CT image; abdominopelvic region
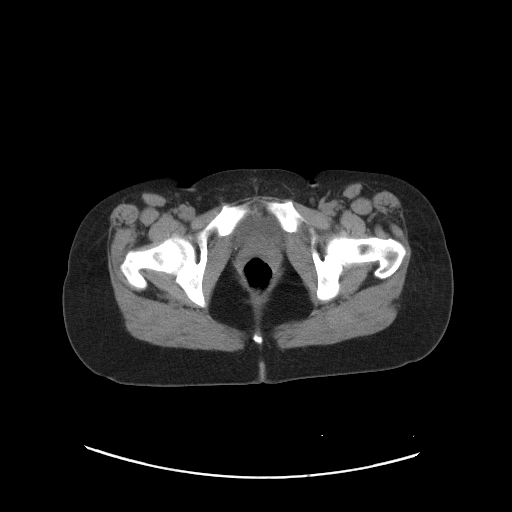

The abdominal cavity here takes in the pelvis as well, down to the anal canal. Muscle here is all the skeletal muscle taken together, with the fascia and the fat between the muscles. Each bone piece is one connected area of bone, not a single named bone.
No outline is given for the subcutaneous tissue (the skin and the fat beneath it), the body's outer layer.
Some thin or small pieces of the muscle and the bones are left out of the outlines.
{"muscle":[{"outer":[[356,181],[389,190],[399,199],[405,214],[411,256],[397,315],[384,329],[332,344],[278,348],[273,336],[274,327],[304,317],[310,308],[308,291],[301,278],[286,266],[263,304],[246,299],[229,268],[219,277],[211,297],[211,312],[220,321],[243,329],[247,343],[241,350],[163,347],[140,340],[126,330],[110,281],[106,242],[109,214],[130,195],[143,191],[157,193],[185,216],[254,195],[289,198],[321,210],[345,185]],"holes":[[[286,200],[305,221],[295,232],[283,231],[286,256],[260,300],[233,265],[231,233],[212,230],[208,236],[204,308],[173,274],[141,269],[147,285],[139,289],[120,270],[129,250],[172,235],[192,236],[198,254],[195,234],[226,203],[247,203],[253,212]],[[311,230],[315,235],[314,246],[322,258],[327,241],[338,234],[353,238],[390,237],[404,246],[405,255],[399,267],[383,279],[373,274],[375,262],[354,263],[344,267],[339,277],[338,294],[331,299],[320,300],[316,295],[317,273],[311,252],[313,235]]]},{"outer":[[256,329],[261,329],[261,330],[264,333],[264,335],[265,336],[265,342],[261,346],[259,346],[256,344],[254,345],[252,344],[249,338],[251,335],[251,333],[252,331]],"hole":[[254,334],[257,334],[258,335],[259,335],[260,336],[261,336],[262,337],[262,338],[263,339],[263,340],[262,341],[262,342],[261,343],[256,343],[252,339],[252,336]]}],"torso":[[[236,168],[281,168],[308,179],[325,169],[374,171],[395,175],[418,188],[440,219],[453,269],[451,315],[435,348],[422,359],[394,369],[275,384],[126,385],[86,367],[68,340],[61,302],[69,249],[85,214],[103,198],[140,181],[175,176],[187,185]]],"bones":[[[226,203],[247,203],[251,211],[229,235],[219,236],[212,230],[208,236],[202,279],[206,307],[193,302],[175,281],[173,274],[141,269],[147,282],[143,289],[127,281],[119,266],[129,250],[151,248],[172,235],[184,238],[190,235],[198,254],[195,234]],[[311,230],[315,235],[314,246],[322,258],[327,241],[338,234],[353,238],[390,237],[404,246],[405,255],[399,267],[383,279],[373,274],[375,262],[354,263],[344,267],[339,277],[338,294],[331,299],[320,300],[316,295],[317,273],[311,252],[313,235]],[[286,200],[291,200],[292,201],[293,205],[296,210],[304,218],[305,220],[305,221],[303,221],[300,223],[300,224],[298,226],[297,230],[295,232],[287,232],[285,231],[281,227],[277,219],[265,208],[265,203],[268,201],[277,201],[278,202],[283,202]]],"abdominal_cavity":[[[258,210],[267,211],[276,219],[283,231],[285,237],[285,245],[286,246],[286,256],[280,267],[275,281],[269,292],[265,297],[260,300],[259,299],[255,299],[249,294],[236,269],[234,267],[230,257],[231,256],[230,243],[234,230],[239,223],[250,212]]]}